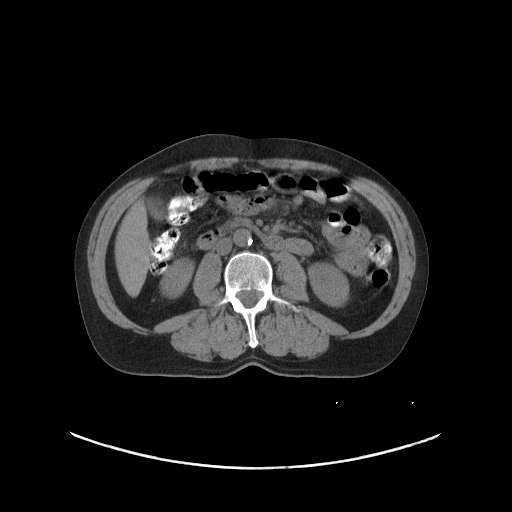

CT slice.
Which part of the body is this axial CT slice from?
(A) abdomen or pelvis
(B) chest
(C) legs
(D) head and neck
(A) abdomen or pelvis
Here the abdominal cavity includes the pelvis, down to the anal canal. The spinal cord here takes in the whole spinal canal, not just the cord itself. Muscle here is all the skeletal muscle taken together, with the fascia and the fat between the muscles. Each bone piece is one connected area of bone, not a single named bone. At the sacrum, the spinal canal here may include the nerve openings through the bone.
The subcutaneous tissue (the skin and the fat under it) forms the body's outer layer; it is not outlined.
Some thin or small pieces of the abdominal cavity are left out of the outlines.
The muscle is outlined by [[232,156],[315,161],[382,186],[402,209],[414,238],[415,271],[399,313],[370,335],[332,340],[328,349],[313,360],[273,356],[257,347],[256,316],[269,302],[296,313],[301,310],[273,291],[275,254],[288,252],[303,268],[306,306],[349,330],[356,330],[373,322],[390,302],[398,281],[398,253],[384,216],[340,173],[240,161],[227,167],[181,169],[152,182],[116,222],[107,245],[105,273],[119,309],[134,322],[152,328],[199,307],[193,290],[196,271],[207,253],[217,254],[222,264],[224,294],[215,305],[229,303],[233,311],[241,315],[249,348],[233,359],[201,361],[175,350],[161,334],[139,334],[109,320],[97,304],[87,265],[90,233],[103,204],[132,179],[194,159]]. The abdominal cavity is outlined by [[240,162],[340,174],[380,212],[398,271],[391,298],[373,321],[349,329],[306,305],[306,273],[288,251],[273,255],[274,270],[263,254],[242,250],[223,272],[220,256],[207,252],[192,282],[198,307],[152,327],[120,309],[106,255],[126,208],[165,176]]. The torso is outlined by [[205,133],[291,137],[323,144],[371,166],[406,197],[425,234],[429,275],[414,328],[389,365],[356,378],[288,377],[255,365],[222,378],[195,378],[132,375],[112,368],[100,358],[84,327],[74,279],[74,249],[83,218],[102,190],[130,166],[175,142]]. The spinal cord is outlined by [[250,290],[254,290],[255,291],[258,291],[259,292],[260,292],[261,293],[261,296],[258,299],[258,300],[252,306],[251,306],[250,307],[247,307],[243,304],[243,303],[239,299],[239,298],[237,296],[237,295],[238,294],[238,293],[241,291],[249,291]]. The bones are outlined by [[242,251],[258,253],[267,258],[273,270],[271,285],[273,293],[300,310],[296,312],[283,304],[269,301],[266,307],[255,316],[255,331],[258,344],[253,348],[248,344],[249,334],[242,315],[234,311],[229,302],[216,305],[225,294],[224,268],[233,255]]; inner edge: [[250,290],[254,290],[255,291],[258,291],[259,292],[260,292],[261,293],[261,296],[258,299],[258,300],[252,306],[251,306],[250,307],[247,307],[243,304],[243,303],[239,299],[239,298],[237,296],[237,295],[238,294],[238,293],[241,291],[249,291]].